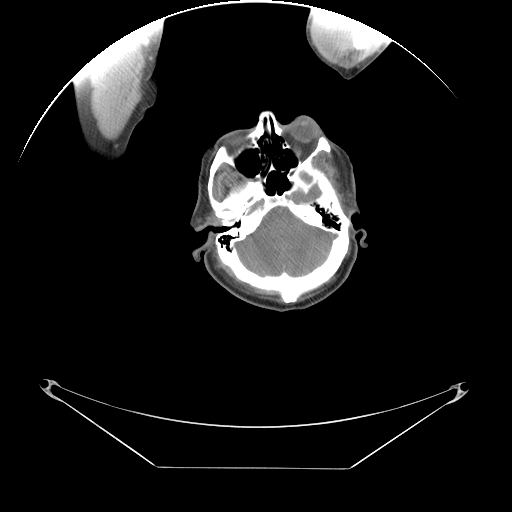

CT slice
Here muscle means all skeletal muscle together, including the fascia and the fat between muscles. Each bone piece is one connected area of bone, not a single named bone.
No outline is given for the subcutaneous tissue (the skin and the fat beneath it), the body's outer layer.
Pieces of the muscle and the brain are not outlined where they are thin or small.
The left arm is outlined by [[313,7],[319,8],[322,10],[330,11],[344,16],[347,16],[362,22],[364,24],[374,28],[389,37],[391,39],[390,44],[376,59],[356,76],[350,79],[344,79],[335,70],[327,66],[318,59],[307,43],[305,37],[305,24]]. The brain appears in 2 outlined pieces: piece 1: [[277,207],[286,208],[293,216],[303,223],[328,232],[334,236],[331,240],[329,250],[323,261],[305,273],[293,275],[283,270],[278,274],[260,274],[246,266],[240,258],[236,247],[236,243],[242,241],[248,235],[253,233],[262,223],[265,216],[271,210]]; piece 2: [[314,186],[316,186],[317,187],[317,188],[319,190],[319,194],[314,198],[313,198],[310,200],[300,200],[299,201],[296,201],[292,197],[292,195],[295,192],[297,192],[298,191],[301,192],[303,194],[304,194],[305,195],[306,194],[307,194]]. The muscle appears in 7 outlined pieces: piece 1: [[152,21],[150,23],[150,37],[149,38],[147,59],[143,69],[142,98],[136,105],[132,114],[119,136],[114,140],[107,140],[102,136],[101,133],[97,129],[97,127],[95,125],[95,121],[90,113],[89,89],[88,88],[89,61],[115,41]]; piece 2: [[316,8],[347,16],[366,24],[353,30],[350,36],[349,39],[351,45],[356,50],[365,49],[372,44],[373,32],[370,26],[386,36],[377,51],[364,60],[359,66],[347,70],[328,61],[321,55],[312,43],[310,35],[313,21],[312,18]]; piece 3: [[330,143],[340,154],[345,167],[345,171],[346,172],[346,185],[350,194],[350,201],[351,202],[351,205],[350,206],[351,207],[351,211],[348,216],[343,210],[337,192],[326,174],[321,169],[313,164],[313,159],[320,152],[322,151],[327,154],[331,151]]; piece 4: [[214,235],[214,244],[216,248],[217,255],[220,261],[231,270],[235,277],[238,280],[258,289],[261,289],[266,291],[277,292],[282,301],[285,303],[279,303],[250,295],[241,291],[227,281],[222,274],[214,266],[214,261],[212,258],[210,251],[210,243]]; piece 5: [[223,163],[227,164],[234,170],[235,170],[237,172],[241,180],[239,182],[239,183],[238,183],[236,185],[232,186],[228,190],[227,193],[221,200],[218,200],[216,199],[213,195],[213,185],[214,184],[214,177],[215,176],[215,174],[217,170]]; piece 6: [[349,227],[350,229],[350,234],[351,235],[350,237],[350,242],[351,243],[350,253],[349,256],[344,262],[342,269],[335,281],[321,292],[304,300],[297,301],[298,298],[301,295],[309,291],[311,291],[327,282],[339,269],[348,251],[348,247],[350,243]]; piece 7: [[217,147],[218,148],[216,150],[216,152],[209,166],[206,190],[207,191],[207,198],[209,204],[214,213],[214,215],[220,220],[220,223],[210,219],[206,219],[204,215],[205,214],[204,189],[206,181],[205,169],[210,154]]. The bones appear in 3 outlined pieces: piece 1: [[264,110],[283,130],[263,145],[283,153],[266,191],[285,190],[281,169],[323,135],[330,151],[312,164],[351,222],[338,269],[295,302],[238,279],[215,244],[225,228],[208,198],[210,166],[221,145],[241,148],[214,174],[212,195],[218,201],[242,180],[238,170],[262,168],[245,135]]; inner edges: [[277,207],[286,208],[293,216],[303,223],[328,232],[334,236],[331,240],[329,250],[323,261],[305,273],[293,275],[283,270],[278,274],[260,274],[246,266],[240,258],[236,247],[236,243],[242,241],[248,235],[253,233],[262,223],[265,216],[271,210]], then [[314,186],[316,186],[317,187],[317,188],[319,190],[319,194],[314,198],[313,198],[310,200],[300,200],[299,201],[296,201],[292,197],[292,195],[295,192],[297,192],[298,191],[301,192],[303,194],[304,194],[305,195],[306,194],[307,194]]; piece 2: [[365,25],[367,25],[369,26],[369,27],[371,29],[371,31],[372,32],[372,42],[370,45],[369,45],[365,48],[363,48],[362,49],[356,49],[352,45],[352,42],[350,39],[351,38],[351,36],[353,33],[353,31],[361,27],[363,27]]; piece 3: [[283,138],[284,139],[285,139],[286,140],[287,140],[287,141],[289,143],[289,144],[290,145],[290,148],[285,148],[283,150],[283,151],[281,149],[281,148],[280,147],[280,143],[283,140]]. The head is outlined by [[265,109],[283,124],[301,114],[312,117],[345,150],[361,211],[351,220],[366,231],[368,245],[358,247],[343,284],[299,310],[275,311],[237,298],[210,276],[202,259],[192,256],[209,231],[225,228],[195,231],[189,224],[201,157],[224,133],[254,126]], around holes outlined by [[274,135],[282,138],[280,149],[283,152],[289,149],[297,161],[295,165],[279,171],[285,172],[287,187],[282,191],[277,189],[269,193],[266,189],[267,178],[277,169],[275,162],[284,154],[281,152],[275,155],[274,160],[264,150],[266,143],[272,145]] and by [[252,149],[256,149],[258,151],[258,152],[257,153],[257,155],[258,156],[259,159],[261,161],[261,168],[253,176],[248,176],[247,175],[244,174],[237,168],[237,167],[236,166],[236,160],[237,159],[237,158],[244,151],[245,151],[246,150],[251,150]]. The right arm is outlined by [[159,19],[163,20],[164,23],[159,53],[154,70],[154,73],[158,79],[158,91],[156,100],[154,104],[146,110],[144,117],[134,128],[126,153],[117,160],[104,161],[88,149],[82,137],[76,114],[74,84],[72,79],[92,58],[109,45],[130,32]].